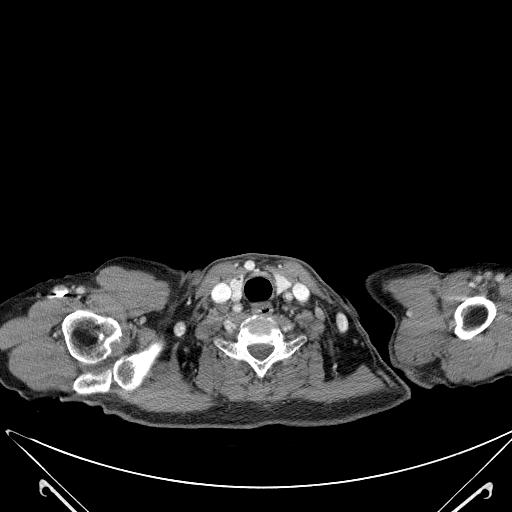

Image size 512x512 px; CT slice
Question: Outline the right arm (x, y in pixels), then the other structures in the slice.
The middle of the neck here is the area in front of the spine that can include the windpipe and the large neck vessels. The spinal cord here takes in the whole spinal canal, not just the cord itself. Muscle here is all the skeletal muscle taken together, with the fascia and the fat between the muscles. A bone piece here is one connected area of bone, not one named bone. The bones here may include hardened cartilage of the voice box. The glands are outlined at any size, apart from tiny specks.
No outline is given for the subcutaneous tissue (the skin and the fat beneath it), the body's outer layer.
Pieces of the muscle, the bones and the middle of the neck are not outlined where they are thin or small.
Answer: {"right_arm":[[[95,269],[110,292],[110,296],[112,300],[129,325],[129,336],[122,356],[97,378],[76,388],[43,394],[25,399],[20,396],[16,391],[4,387],[0,383],[0,303],[41,281],[53,277],[61,277],[66,274],[73,274],[87,270],[92,271]]],"spinal_cord":[[[254,344],[267,344],[268,345],[269,345],[272,347],[272,350],[270,352],[270,353],[266,357],[265,357],[263,359],[258,359],[256,357],[255,357],[254,356],[253,356],[250,353],[250,352],[248,349],[248,347],[249,346],[250,346],[251,345],[253,345]]],"torso":[[[117,256],[191,269],[173,329],[178,369],[193,394],[229,416],[276,420],[329,373],[336,325],[331,286],[355,308],[381,358],[410,387],[411,398],[336,425],[256,428],[152,427],[81,402],[28,401],[86,385],[125,353],[130,325],[96,270]]],"bones":[{"outer":[[250,315],[270,316],[281,329],[292,324],[293,327],[287,333],[288,335],[295,337],[303,334],[306,337],[305,341],[290,357],[275,362],[263,378],[259,378],[247,362],[229,357],[213,342],[215,338],[231,339],[233,337],[224,327],[226,320],[238,327]],"hole":[[254,344],[267,344],[268,345],[269,345],[272,347],[272,350],[270,352],[270,353],[266,357],[265,357],[263,359],[258,359],[256,357],[255,357],[254,356],[253,356],[250,353],[250,352],[248,349],[248,347],[249,346],[250,346],[251,345],[253,345]]},[[77,309],[87,309],[91,310],[98,314],[111,317],[117,321],[121,328],[122,335],[120,340],[119,341],[115,341],[111,344],[111,348],[112,349],[111,354],[107,359],[96,365],[88,365],[78,361],[70,354],[67,348],[61,330],[61,322],[66,315]],[[160,339],[164,343],[164,348],[156,358],[151,368],[151,375],[135,389],[125,391],[114,381],[110,384],[109,391],[105,393],[98,392],[83,395],[76,393],[72,389],[74,380],[81,373],[111,367],[121,356],[127,356],[132,353],[139,352],[153,341]],[[475,295],[484,295],[487,298],[493,301],[496,305],[496,314],[490,324],[482,331],[481,331],[470,339],[462,340],[461,339],[459,339],[453,333],[453,328],[455,325],[455,323],[453,319],[453,313],[457,306],[464,299],[464,298],[466,297],[474,296]]],"left_arm":[[[484,261],[511,264],[511,376],[476,387],[461,386],[449,388],[438,384],[430,389],[419,388],[406,378],[399,369],[391,365],[387,344],[394,327],[394,319],[366,292],[363,285],[364,278],[372,271],[404,262],[425,263],[438,271],[444,272],[454,266]]],"head_and_neck":[[[248,252],[286,255],[305,261],[330,286],[335,312],[335,325],[330,345],[328,373],[301,392],[284,409],[278,418],[267,421],[229,415],[193,393],[187,387],[180,372],[174,341],[174,329],[182,296],[186,290],[186,284],[191,270],[205,266],[221,257]]],"middle_of_the_neck":[[[254,269],[262,269],[272,275],[276,285],[275,293],[277,295],[284,292],[291,285],[290,280],[307,287],[309,292],[307,300],[268,315],[234,311],[217,302],[211,294],[215,286],[229,279],[229,294],[233,299],[238,300],[242,295],[244,281],[243,273]]],"thyroid_glands":[[[238,274],[243,274],[243,281],[242,282],[242,289],[241,290],[241,295],[240,296],[240,297],[238,299],[235,299],[234,298],[233,298],[231,296],[231,295],[230,294],[230,290],[229,289],[229,281],[231,278],[232,278],[234,276],[236,276]],[[273,270],[274,271],[277,271],[278,272],[282,273],[287,278],[287,279],[289,280],[290,282],[290,285],[284,291],[279,294],[277,294],[276,293],[276,291],[277,290],[277,285],[276,284],[275,279],[273,275],[270,272],[269,272],[269,271],[272,271]]],"muscle":[{"outer":[[241,259],[268,263],[292,260],[303,266],[340,304],[369,357],[396,388],[332,403],[290,399],[225,402],[184,413],[146,411],[98,393],[109,392],[113,382],[125,392],[138,388],[152,375],[165,348],[161,338],[121,355],[111,366],[81,372],[71,385],[77,394],[34,390],[7,367],[6,352],[0,349],[0,325],[25,315],[36,300],[57,285],[92,285],[103,268],[121,265],[153,273],[180,295],[196,286],[216,264]],"holes":[[[254,269],[280,272],[309,292],[307,300],[268,315],[281,329],[292,324],[287,333],[291,337],[303,334],[306,339],[290,357],[275,362],[263,378],[247,362],[229,357],[213,342],[233,337],[224,327],[226,320],[238,327],[250,315],[214,300],[213,288]],[[77,309],[87,309],[91,310],[98,314],[111,317],[117,321],[121,328],[122,335],[120,340],[119,341],[115,341],[111,344],[111,348],[112,349],[111,354],[107,359],[96,365],[88,365],[78,361],[70,354],[67,348],[61,330],[61,322],[66,315]],[[339,312],[342,312],[346,316],[346,318],[347,319],[347,329],[345,331],[340,331],[340,330],[339,329],[339,328],[338,327],[338,324],[337,323],[337,314]]]},{"outer":[[463,269],[495,270],[511,274],[511,367],[484,379],[470,382],[465,380],[453,382],[448,379],[437,362],[407,367],[399,361],[394,345],[400,322],[405,315],[405,309],[388,292],[383,290],[383,282],[391,278],[421,272],[429,272],[442,279],[451,273]],"hole":[[475,295],[484,295],[487,298],[493,301],[496,305],[496,314],[490,324],[482,331],[481,331],[470,339],[462,340],[461,339],[459,339],[453,333],[453,328],[455,325],[455,323],[453,319],[453,313],[457,306],[464,299],[464,298],[466,297],[474,296]]}]}